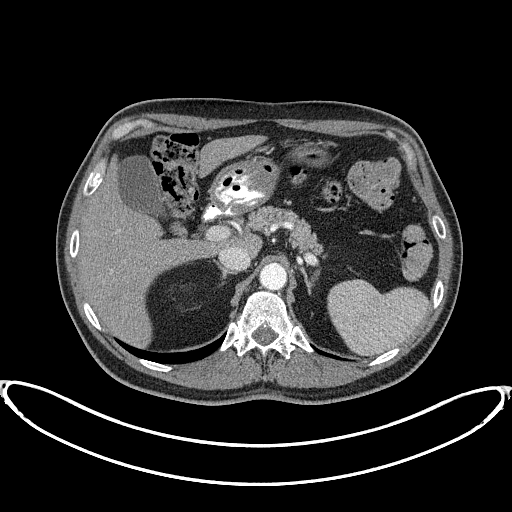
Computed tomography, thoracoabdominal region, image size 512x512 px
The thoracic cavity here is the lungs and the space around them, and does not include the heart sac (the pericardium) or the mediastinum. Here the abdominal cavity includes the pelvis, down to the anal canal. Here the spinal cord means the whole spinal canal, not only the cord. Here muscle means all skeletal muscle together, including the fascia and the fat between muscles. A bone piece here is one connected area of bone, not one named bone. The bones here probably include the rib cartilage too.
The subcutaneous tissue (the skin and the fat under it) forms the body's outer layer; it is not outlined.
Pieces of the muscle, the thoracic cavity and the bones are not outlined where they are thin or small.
Outlined structures:
abdominal cavity: [[352,360],[372,359],[405,341],[425,316],[437,284],[441,245],[407,156],[391,137],[256,122],[204,131],[153,125],[114,142],[83,216],[77,255],[87,301],[114,338],[157,352],[206,345],[225,333],[262,265],[276,262],[286,271],[292,322],[312,345]]
mediastinum: [[235,320],[241,310],[245,298],[251,292],[255,290],[265,289],[266,290],[277,292],[280,294],[284,299],[285,302],[285,299],[284,298],[285,271],[279,264],[276,263],[267,263],[263,265],[259,272],[247,286],[245,291],[243,293],[239,301]]
spinal cord: [[264,345],[265,344],[267,344],[268,343],[269,343],[272,340],[273,340],[277,336],[277,334],[269,328],[263,328],[262,327],[259,327],[255,331],[254,331],[253,332],[253,333],[252,334],[252,336],[257,342],[258,342],[261,344],[263,344]]
muscle: [[204,390],[232,389],[259,381],[261,382],[267,382],[268,381],[276,383],[282,386],[296,387],[297,388],[327,388],[328,387],[334,387],[339,385],[343,385],[393,364],[404,355],[407,354],[411,349],[415,347],[429,332],[437,320],[446,301],[447,293],[449,288],[450,273],[453,263],[453,241],[449,224],[437,200],[433,188],[432,181],[421,150],[414,138],[410,134],[399,127],[389,124],[375,123],[367,121],[358,121],[357,120],[341,120],[340,119],[338,120],[335,119],[306,120],[305,119],[292,119],[291,118],[254,118],[253,119],[250,118],[244,118],[243,119],[229,119],[225,118],[221,119],[220,118],[206,118],[200,116],[182,115],[181,114],[173,114],[172,113],[155,113],[154,112],[146,112],[123,117],[116,121],[107,130],[98,145],[78,186],[73,201],[68,221],[68,225],[66,230],[66,238],[64,246],[64,260],[65,261],[66,270],[68,274],[69,283],[75,298],[75,303],[77,309],[80,316],[92,334],[110,352],[131,367],[141,372],[160,378],[171,383],[182,385],[186,387],[191,387]] with a hole at [[164,372],[172,368],[172,363],[200,359],[231,345],[239,356],[256,348],[264,357],[274,349],[286,359],[297,345],[336,359],[371,359],[370,366],[393,357],[425,316],[431,299],[436,308],[443,295],[443,284],[437,276],[439,239],[446,237],[446,230],[437,214],[430,216],[413,181],[409,166],[415,167],[415,155],[410,146],[405,142],[400,146],[388,130],[387,135],[378,131],[313,132],[273,122],[195,131],[165,125],[146,127],[150,121],[137,119],[115,128],[111,137],[116,141],[109,159],[98,161],[83,187],[83,194],[92,198],[81,233],[77,228],[72,232],[69,252],[72,258],[78,257],[78,275],[88,300],[83,302],[83,309],[92,325],[105,328],[143,365]]
torso: [[201,405],[254,399],[317,405],[352,399],[401,381],[433,349],[457,298],[463,245],[446,189],[423,141],[405,121],[373,107],[333,100],[266,102],[189,97],[132,103],[114,113],[100,129],[58,214],[55,256],[62,299],[86,348],[110,376],[145,393]]
bones 1: [[286,359],[296,345],[308,352],[313,352],[314,349],[299,326],[291,322],[285,303],[279,294],[265,290],[255,291],[246,298],[238,318],[229,324],[218,350],[223,351],[233,345],[237,354],[242,356],[248,350],[256,348],[264,357],[270,349],[274,349]] with a hole at [[264,345],[265,344],[267,344],[268,343],[269,343],[272,340],[273,340],[277,336],[277,334],[269,328],[263,328],[262,327],[259,327],[255,331],[254,331],[253,332],[253,333],[252,334],[252,336],[257,342],[258,342],[261,344],[263,344]]
bones 2: [[85,196],[89,196],[91,195],[93,193],[93,192],[95,191],[96,188],[101,182],[103,175],[105,172],[105,168],[106,167],[106,164],[107,163],[107,160],[105,158],[102,158],[100,159],[98,161],[94,168],[90,172],[83,187],[83,194]]
bones 3: [[115,140],[119,136],[123,134],[125,135],[135,127],[137,126],[145,126],[151,123],[151,122],[148,120],[145,120],[144,119],[137,119],[133,121],[129,121],[128,122],[125,122],[122,124],[120,124],[113,130],[112,132],[112,134],[111,135],[111,137]]
bones 4: [[164,372],[169,371],[172,368],[170,365],[168,365],[167,364],[161,364],[160,363],[157,363],[156,362],[150,361],[149,360],[147,360],[143,358],[138,358],[138,361],[143,365],[151,369],[157,370],[158,371],[163,371]]
bones 5: [[441,239],[444,239],[446,237],[446,230],[445,229],[445,226],[441,218],[437,214],[434,214],[432,215],[431,217],[431,219],[432,220],[432,224],[433,225],[433,228],[436,231],[438,236]]
bones 6: [[370,366],[371,365],[374,365],[375,364],[378,364],[379,363],[384,362],[390,359],[392,357],[393,357],[399,351],[399,347],[395,347],[385,352],[383,354],[379,356],[377,356],[374,359],[373,359],[368,363],[368,365]]
bones 7: [[99,330],[102,330],[102,327],[100,325],[100,324],[99,323],[93,310],[91,308],[91,307],[89,305],[89,304],[86,301],[83,302],[83,309],[85,312],[85,314],[86,315],[87,318],[92,324],[92,325],[93,325],[97,329],[98,329]]
bones 8: [[72,258],[74,258],[76,256],[76,255],[77,254],[77,250],[78,249],[78,246],[79,245],[79,230],[77,228],[74,229],[74,230],[72,232],[72,234],[71,235],[71,238],[70,239],[70,243],[69,244],[69,252],[70,253],[70,255]]
bones 9: [[434,308],[436,308],[438,306],[439,303],[441,301],[441,299],[442,298],[442,296],[443,295],[443,284],[442,283],[442,281],[440,279],[438,279],[438,284],[437,285],[437,288],[436,289],[436,290],[434,293],[434,295],[433,296],[433,307]]
bones 10: [[414,168],[415,167],[415,155],[414,154],[414,152],[413,151],[413,150],[410,147],[410,146],[407,143],[406,143],[405,142],[403,142],[401,144],[401,145],[402,146],[403,149],[405,151],[405,152],[408,156],[407,159],[408,160],[409,165],[410,165]]
thoracic cavity 1: [[168,364],[183,363],[193,361],[206,356],[217,349],[225,334],[223,334],[217,340],[201,348],[191,350],[187,352],[176,352],[175,353],[147,352],[137,348],[134,348],[117,339],[115,339],[125,349],[138,357],[143,357],[157,362],[167,363]]
thoracic cavity 2: [[343,360],[348,360],[343,359],[338,356],[336,356],[332,354],[329,354],[328,353],[326,353],[314,347],[315,350],[317,352],[321,354],[323,354],[326,356],[328,356],[329,357],[332,357],[336,359],[342,359]]